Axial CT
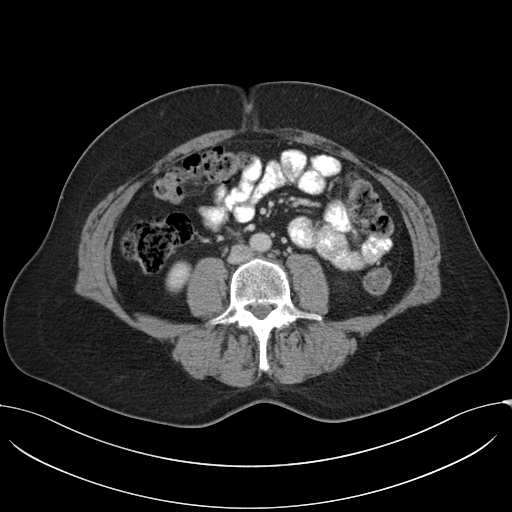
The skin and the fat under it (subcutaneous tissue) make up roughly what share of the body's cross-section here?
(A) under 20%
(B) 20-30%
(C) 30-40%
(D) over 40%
(D) over 40%
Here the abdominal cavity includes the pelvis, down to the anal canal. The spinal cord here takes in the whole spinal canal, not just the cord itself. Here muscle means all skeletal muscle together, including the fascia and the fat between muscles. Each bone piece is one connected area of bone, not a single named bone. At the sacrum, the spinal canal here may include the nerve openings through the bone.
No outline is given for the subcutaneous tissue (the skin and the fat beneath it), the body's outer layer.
Outlines:
bones: 255,257 281,265 287,274 290,296 294,305 302,311 322,317 320,321 298,318 288,326 273,328 266,345 269,365 266,371 259,368 259,343 250,327 239,327 236,322 206,325 229,305 231,277 234,271 241,264, around a hole outlined by 255,304 270,304 271,305 273,305 274,306 273,307 273,308 263,318 262,318 261,319 260,318 258,318 256,316 255,316 254,315 254,314 249,309 246,308 246,307 247,307 248,306 250,306 251,305 254,305
abdominal cavity: 246,132 329,151 385,188 413,251 413,284 399,301 327,319 324,269 313,255 294,252 285,263 295,304 277,261 241,263 227,299 225,263 205,256 185,292 199,321 123,306 111,256 116,224 134,194 193,151
torso: 277,80 314,82 357,95 402,121 434,153 507,297 508,329 495,358 477,372 357,419 323,422 257,403 197,428 126,416 20,371 3,341 6,295 41,243 62,187 86,147 120,116 166,92 206,83 247,86
muscle: 243,126 246,127 257,126 269,129 276,127 293,127 294,128 310,131 337,142 353,152 360,158 371,161 381,167 390,170 403,180 406,181 413,188 418,191 424,198 433,215 439,236 441,259 439,262 438,267 439,268 439,275 440,276 440,281 442,288 440,295 436,299 427,304 421,304 417,306 409,307 403,312 397,314 379,325 361,342 360,345 351,357 343,365 340,366 337,369 330,372 323,373 315,377 309,378 300,383 296,383 295,384 280,384 279,383 275,383 265,374 258,381 247,387 230,386 222,383 212,377 202,380 194,380 171,360 169,351 166,349 165,345 159,340 154,337 152,337 145,332 129,325 103,305 91,299 86,298 74,291 74,285 78,272 78,256 77,255 77,251 78,250 78,244 80,240 80,236 83,225 91,210 109,192 123,184 131,177 149,167 173,148 196,136 210,131 214,131 220,129 238,129, around a hole outlined by 246,132 370,174 397,203 413,251 399,301 339,320 324,317 320,262 292,253 294,305 322,319 273,328 266,371 250,327 206,325 230,302 221,258 202,257 191,273 197,322 128,311 111,262 118,219 142,185
spinal cord: 255,304 270,304 271,305 273,305 274,306 273,307 273,308 263,318 262,318 261,319 260,318 258,318 256,316 255,316 254,315 254,314 249,309 246,308 246,307 247,307 248,306 250,306 251,305 254,305